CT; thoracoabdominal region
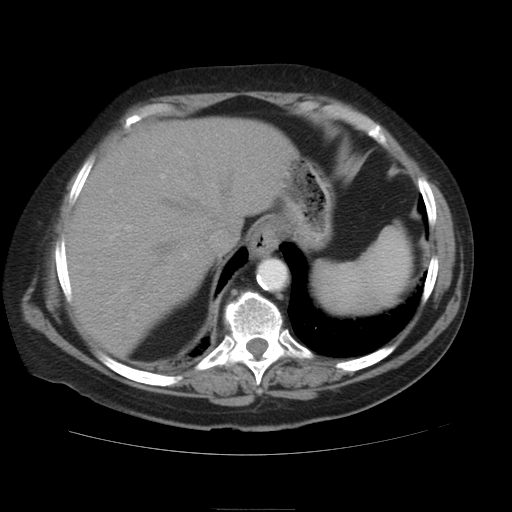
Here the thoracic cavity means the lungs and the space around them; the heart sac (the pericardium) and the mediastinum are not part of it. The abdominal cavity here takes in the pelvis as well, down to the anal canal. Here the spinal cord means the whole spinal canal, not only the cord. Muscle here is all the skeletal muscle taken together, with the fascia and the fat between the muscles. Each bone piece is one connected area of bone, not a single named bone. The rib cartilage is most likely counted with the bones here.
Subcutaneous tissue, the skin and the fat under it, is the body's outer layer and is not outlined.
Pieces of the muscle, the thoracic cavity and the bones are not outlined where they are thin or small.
The mediastinum appears in 2 outlined pieces: piece 1: 262,229 269,229 281,238 278,247 291,273 290,293 286,308 291,334 290,330 284,327 284,317 279,308 259,292 247,289 223,304 221,318 228,331 219,341 220,293 234,272 247,260 246,244 248,240 257,230; piece 2: 340,120 348,124 355,130 357,130 363,133 366,136 371,138 375,142 375,143 373,145 372,145 370,147 368,147 366,149 359,150 356,146 356,144 354,141 354,137 352,134 351,130 346,125 342,124 340,122. The bones appear in 9 outlined pieces: piece 1: 247,290 257,292 271,301 282,314 283,327 287,328 300,344 314,354 312,358 286,356 279,358 264,371 258,386 253,372 242,362 236,362 228,367 215,365 202,370 194,369 194,366 229,331 222,318 224,304 with a hole at 255,338 261,338 262,339 265,340 267,343 267,347 265,349 265,350 260,355 260,356 259,357 256,357 251,352 250,352 247,349 247,348 246,347 246,345 247,344 247,343 250,340 251,340 252,339 254,339; piece 2: 307,100 316,101 321,105 324,104 336,105 346,110 363,115 371,119 380,126 386,138 387,147 386,148 380,145 371,137 355,129 351,125 340,119 330,117 323,113 320,113 319,111 299,112 297,104 299,102; piece 3: 91,349 99,350 119,362 121,362 126,365 128,365 131,367 133,367 140,370 148,371 153,373 165,374 166,375 181,375 182,376 182,378 176,383 168,386 151,385 150,384 135,381 115,372 106,366 92,353; piece 4: 394,343 398,343 398,344 395,349 391,353 376,363 367,367 365,367 355,371 347,371 341,368 337,368 335,366 335,364 339,361 352,359 353,358 357,358 358,357 369,354 383,346 385,346 386,345 391,345; piece 5: 61,236 63,236 65,242 65,258 67,264 67,273 69,278 69,284 71,289 71,302 68,302 65,297 65,295 62,290 62,288 58,279 58,275 56,269 55,254 54,253 55,250 55,243 56,241 61,237; piece 6: 420,176 426,179 428,182 435,200 435,204 436,205 436,219 435,220 435,223 432,227 430,227 429,226 428,218 427,217 427,213 426,212 426,207 424,203 424,200 422,195 418,189 418,186 417,185 417,178; piece 7: 152,103 167,103 168,104 173,105 173,108 169,111 162,111 161,112 158,112 157,113 154,113 151,115 149,115 143,118 141,120 132,124 129,129 126,131 124,128 126,118 128,116 134,113 138,113 141,107; piece 8: 91,155 92,155 94,157 94,162 93,163 93,165 83,184 83,186 81,188 81,190 76,200 73,204 71,204 69,201 69,193 71,190 72,185 77,176 77,174 78,172 80,170 84,162; piece 9: 433,255 435,255 437,257 437,259 438,260 437,274 436,275 436,278 435,279 435,282 434,283 432,291 429,297 424,304 421,304 420,301 421,300 421,296 423,291 424,282 427,274 427,268 428,267 429,261. The muscle appears in 2 outlined pieces: piece 1: 372,119 389,131 437,186 463,248 458,312 428,346 400,366 322,390 311,399 266,395 246,405 227,406 123,383 62,350 22,320 21,300 42,264 51,219 68,181 83,162 68,193 73,207 65,239 61,235 54,243 54,262 66,301 73,304 81,325 103,350 90,351 106,367 135,382 168,387 183,376 166,373 190,364 195,364 195,371 202,371 242,363 258,387 270,365 284,357 312,359 316,353 347,359 334,364 347,372 376,364 396,349 398,342 386,344 430,297 439,260 433,254 428,263 429,227 437,219 431,186 421,175 416,185 386,149 387,138; piece 2: 241,90 323,94 348,103 369,117 336,104 321,104 312,99 299,101 296,104 298,112 295,112 265,99 243,94 226,98 195,111 181,114 158,115 143,119 154,114 169,112 174,108 174,105 171,103 152,102 141,106 138,112 134,112 125,118 123,125 125,133 94,165 95,157 92,154 84,161 100,140 118,123 118,120 126,109 135,103 164,95. The torso is outlined by 267,62 317,66 366,85 395,107 450,167 469,210 475,255 466,313 446,353 415,383 373,407 341,418 269,431 164,424 112,409 65,384 30,374 8,320 1,266 16,218 46,169 94,111 135,80 183,67. The abdominal cavity is outlined by 243,95 339,120 359,151 385,148 417,186 427,267 404,303 338,319 308,297 302,252 269,228 257,229 223,267 214,293 217,321 195,347 163,367 119,361 90,337 72,302 65,240 74,204 92,168 132,125. The thoracic cavity appears in 3 outlined pieces: piece 1: 286,241 292,243 303,255 306,265 305,291 312,306 323,316 338,320 354,321 370,318 385,314 404,304 416,291 426,269 420,300 413,315 384,345 369,353 342,358 314,352 292,335 287,313 292,273 279,247; piece 2: 216,322 217,322 217,340 219,342 196,363 194,362 190,363 180,369 168,371 165,373 153,372 131,366 142,368 163,368 174,364 179,360 181,360 190,351 195,348 200,343 201,340 210,333 210,331 214,327; piece 3: 242,247 245,247 247,250 247,257 246,260 242,265 238,267 233,272 229,279 222,288 221,291 216,297 215,295 216,287 218,284 218,281 220,278 220,275 222,273 224,267 234,254 235,254 236,252. The spinal cord is outlined by 255,338 261,338 262,339 265,340 267,343 267,347 265,349 265,350 260,355 260,356 259,357 256,357 251,352 250,352 247,349 247,348 246,347 246,345 247,344 247,343 250,340 251,340 252,339 254,339.